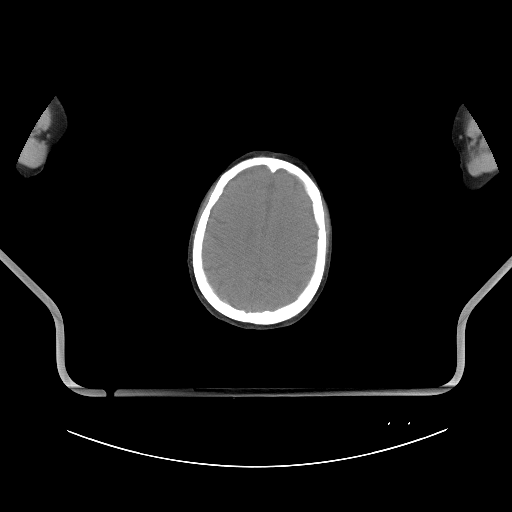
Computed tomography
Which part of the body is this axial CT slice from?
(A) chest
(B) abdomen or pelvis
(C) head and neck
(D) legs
Answer: (C) head and neck
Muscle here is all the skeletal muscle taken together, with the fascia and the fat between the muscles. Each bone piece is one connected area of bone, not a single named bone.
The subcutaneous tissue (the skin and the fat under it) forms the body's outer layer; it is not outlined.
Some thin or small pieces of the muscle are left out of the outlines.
The left arm is outlined by 459 104; 462 104; 466 108; 475 123; 477 124; 477 127; 480 128; 480 131; 484 139; 486 140; 486 143; 489 150; 494 155; 496 167; 499 173; 486 185; 478 190; 467 189; 460 182; 459 156; 454 148; 450 137; 452 118; 454 112. The muscle appears in 3 outlined pieces: piece 1: 467 113; 470 114; 475 123; 477 124; 477 127; 480 128; 480 131; 484 139; 486 140; 489 150; 494 155; 494 159; 497 168; 496 170; 494 170; 492 172; 488 172; 477 177; 473 177; 467 172; 463 160; 460 135; 462 130; 464 117; piece 2: 48 106; 54 112; 52 137; 41 164; 36 168; 30 169; 22 165; 18 161; 18 159; 22 151; 22 148; 25 145; 25 142; 29 138; 29 135; 34 128; 34 125; 36 124; 37 119; 39 118; 42 111; 44 111; piece 3: 210 191; 209 193; 209 195; 208 196; 208 199; 197 219; 197 221; 196 222; 196 225; 195 227; 195 224; 196 223; 196 221; 198 217; 198 214; 200 211; 200 209; 202 206; 202 204; 205 200; 207 195. The bones are outlined by 259 155; 288 160; 298 165; 311 177; 318 186; 322 196; 326 231; 326 261; 324 273; 320 285; 311 301; 295 316; 278 323; 266 325; 234 320; 214 309; 200 292; 192 267; 192 243; 195 228; 218 178; 225 170; 239 161; 248 157, around a hole outlined by 254 166; 265 166; 271 173; 279 169; 285 170; 301 182; 311 202; 313 219; 317 228; 317 237; 312 272; 305 286; 295 299; 274 309; 247 311; 233 306; 217 294; 205 272; 202 252; 204 237; 212 208; 223 193; 226 185; 240 172. The brain is outlined by 254 166; 265 166; 271 173; 279 169; 285 170; 301 182; 311 202; 313 219; 317 228; 317 237; 312 272; 305 286; 295 299; 274 309; 247 311; 233 306; 217 294; 205 272; 202 252; 204 237; 212 208; 223 193; 226 185; 240 172. The head is outlined by 254 149; 289 153; 298 157; 307 164; 321 185; 327 200; 331 215; 333 234; 332 257; 327 281; 315 305; 299 321; 283 328; 270 330; 244 329; 228 324; 214 317; 195 295; 190 282; 186 262; 190 229; 204 194; 216 177; 233 159. The right arm is outlined by 55 97; 57 97; 60 100; 67 113; 69 123; 68 130; 64 137; 52 150; 43 169; 37 175; 25 178; 20 175; 16 170; 16 165; 22 148; 24 147; 25 142; 29 138; 29 135; 34 128; 34 125; 36 124; 40 114; 46 109.